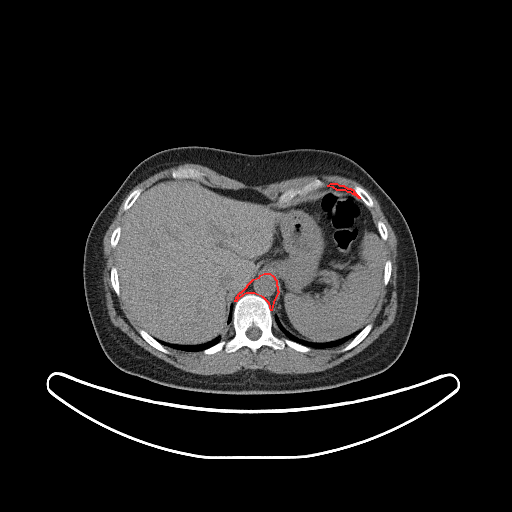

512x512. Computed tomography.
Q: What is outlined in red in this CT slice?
A: red: mediastinum.
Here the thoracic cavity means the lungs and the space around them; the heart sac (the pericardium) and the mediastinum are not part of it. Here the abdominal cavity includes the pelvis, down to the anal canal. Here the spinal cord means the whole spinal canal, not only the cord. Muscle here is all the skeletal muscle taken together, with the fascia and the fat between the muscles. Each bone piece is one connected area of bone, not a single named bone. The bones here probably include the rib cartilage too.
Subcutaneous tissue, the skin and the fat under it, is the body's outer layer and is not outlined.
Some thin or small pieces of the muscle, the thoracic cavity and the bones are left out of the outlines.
Outlines:
mediastinum 1: 264 273; 269 273; 272 275; 276 280; 276 285; 277 286; 277 290; 278 291; 273 302; 271 310; 269 303; 263 297; 254 293; 246 293; 242 295; 237 299; 236 301; 235 301; 236 297; 240 292; 241 292; 253 279; 259 277; 260 275
mediastinum 2: 331 183; 336 183; 339 185; 343 185; 347 188; 350 188; 351 189; 352 189; 353 190; 353 191; 359 197; 359 198; 354 194; 353 194; 350 192; 348 192; 345 190; 337 190; 333 187; 328 186; 328 185
thoracic cavity 1: 275 317; 278 319; 279 322; 286 331; 297 338; 307 342; 316 342; 317 343; 331 342; 335 340; 341 339; 346 336; 349 336; 356 332; 356 334; 349 341; 335 347; 313 348; 301 344; 296 341; 291 340; 286 337; 278 328; 274 321
thoracic cavity 2: 218 337; 221 340; 215 344; 207 348; 205 348; 203 350; 199 350; 198 351; 185 351; 184 350; 179 350; 178 349; 171 348; 163 345; 159 341; 162 341; 170 344; 178 344; 179 345; 197 345; 198 344; 203 344; 206 342; 209 342
spinal cord: 253 326; 255 326; 256 327; 257 327; 261 331; 261 334; 260 335; 260 336; 257 339; 255 339; 254 340; 253 340; 252 339; 251 339; 250 338; 249 338; 247 336; 247 335; 246 334; 246 332; 247 331; 247 330; 250 327; 252 327
torso: 179 146; 207 146; 249 154; 324 149; 349 157; 378 183; 406 220; 419 264; 419 294; 413 325; 403 351; 391 366; 379 374; 329 389; 226 394; 169 387; 126 373; 110 361; 98 341; 85 299; 86 239; 96 217; 133 168; 158 151
muscle 1: 184 163; 195 163; 196 164; 200 164; 206 166; 222 175; 238 180; 248 185; 264 185; 273 182; 279 182; 282 180; 285 180; 293 177; 303 176; 304 175; 312 175; 313 174; 318 176; 320 176; 322 174; 340 175; 344 177; 353 179; 360 183; 374 195; 378 201; 381 210; 391 226; 397 239; 397 278; 396 279; 396 284; 397 285; 397 308; 396 309; 396 315; 394 321; 375 340; 357 354; 350 357; 348 359; 346 359; 339 364; 325 370; 318 371; 317 372; 310 372; 309 373; 298 373; 297 374; 294 373; 287 373; 286 374; 278 374; 261 369; 256 369; 255 370; 248 369; 247 370; 237 371; 234 373; 230 373; 229 374; 213 374; 212 375; 196 374; 175 367; 173 365; 153 355; 141 346; 135 343; 124 332; 119 328; 116 327; 111 322; 108 314; 108 311; 106 307; 105 291; 103 287; 103 270; 105 266; 105 260; 103 257; 103 238; 107 229; 115 217; 119 208; 119 206; 123 199; 138 183; 161 170; 170 168; 174 166; 177 166 with a hole at 186 167; 204 173; 197 180; 205 185; 248 189; 275 202; 286 190; 315 179; 322 181; 323 187; 297 195; 292 201; 315 195; 331 183; 351 189; 362 187; 373 202; 369 208; 373 221; 382 221; 387 229; 383 245; 385 259; 391 262; 391 274; 388 283; 381 287; 367 335; 346 351; 341 350; 347 342; 335 347; 311 347; 307 352; 287 345; 282 349; 262 345; 255 352; 242 346; 233 352; 223 348; 211 354; 167 346; 169 353; 165 353; 149 344; 139 333; 141 328; 122 296; 111 285; 116 248; 111 246; 110 238; 114 229; 122 226; 128 211; 122 208; 123 203; 134 189; 141 188; 143 192; 158 180; 170 178; 174 170
muscle 2: 231 322; 231 323; 232 324; 232 328; 233 329; 233 335; 230 338; 229 338; 227 340; 224 340; 223 339; 222 339; 224 337; 224 336; 225 335; 225 334; 227 332; 227 331; 229 328; 229 326; 230 325; 230 324; 231 323
bones 1: 246 294; 257 295; 268 303; 277 327; 273 328; 273 332; 278 337; 287 338; 310 350; 302 352; 287 345; 282 349; 273 349; 262 345; 255 352; 242 346; 233 352; 223 348; 211 354; 204 353; 205 349; 234 335; 233 308; 237 300; inner edge: 253 326; 255 326; 256 327; 257 327; 261 331; 261 334; 260 335; 260 336; 257 339; 255 339; 254 340; 253 340; 252 339; 251 339; 250 338; 249 338; 247 336; 247 335; 246 334; 246 332; 247 331; 247 330; 250 327; 252 327
bones 2: 315 179; 319 179; 322 181; 325 184; 323 187; 313 190; 303 196; 299 196; 297 195; 291 200; 287 202; 285 202; 281 205; 279 205; 278 204; 278 202; 277 201; 279 196; 286 190; 290 188; 297 188; 298 187; 299 188
bones 3: 186 167; 190 167; 191 168; 193 168; 194 169; 196 169; 197 170; 198 170; 199 171; 200 171; 201 172; 204 173; 205 174; 205 175; 201 179; 193 179; 192 178; 174 178; 171 176; 171 173; 174 170; 176 170; 179 168; 185 168
bones 4: 369 323; 371 323; 372 324; 372 327; 371 328; 371 329; 369 331; 369 332; 367 334; 367 335; 359 343; 358 343; 355 346; 354 346; 352 348; 351 348; 350 349; 349 349; 346 351; 341 351; 341 350; 367 324; 368 324
bones 5: 139 329; 142 329; 146 332; 147 332; 148 334; 149 334; 153 338; 157 340; 163 346; 164 346; 169 351; 169 353; 165 353; 164 352; 162 352; 158 350; 156 348; 153 347; 150 344; 149 344; 141 336; 141 335; 138 331
bones 6: 356 185; 358 185; 359 186; 360 186; 361 187; 362 187; 368 193; 368 194; 372 199; 372 201; 373 202; 373 206; 372 207; 370 207; 369 208; 362 201; 362 200; 360 198; 360 197; 354 191; 354 190; 353 189; 353 188
bones 7: 136 188; 141 188; 142 189; 142 191; 141 192; 141 193; 138 196; 138 197; 135 200; 135 201; 132 204; 132 205; 127 210; 124 210; 122 208; 122 207; 123 206; 123 203; 124 202; 125 199; 127 197; 127 196; 134 189; 135 189
bones 8: 113 266; 114 266; 116 268; 116 269; 117 270; 117 275; 118 276; 118 281; 119 282; 119 290; 120 291; 120 295; 119 296; 118 296; 115 293; 115 292; 114 291; 114 290; 111 285; 111 281; 110 280; 110 271; 111 270; 111 268
bones 9: 117 226; 120 226; 121 227; 121 229; 120 230; 120 235; 119 236; 119 239; 117 242; 117 244; 116 245; 116 246; 115 247; 112 247; 110 244; 110 238; 111 237; 111 234; 112 233; 112 232; 114 230; 114 229
bones 10: 386 260; 390 260; 390 261; 391 262; 391 274; 390 275; 390 277; 389 278; 389 280; 388 281; 388 283; 386 285; 384 285; 384 283; 383 282; 383 279; 384 278; 384 267; 385 266; 385 262; 386 261
bones 11: 379 220; 380 220; 383 222; 383 223; 385 225; 385 226; 387 229; 387 239; 386 240; 383 240; 382 239; 382 238; 381 237; 381 236; 380 235; 380 234; 378 231; 378 228; 377 227; 377 225; 376 224; 377 223; 377 222
abdominal cavity: 171 177; 228 190; 256 191; 279 206; 327 187; 360 199; 385 248; 383 285; 368 323; 357 333; 331 341; 301 339; 273 317; 277 280; 264 272; 235 297; 222 338; 179 344; 153 337; 138 325; 124 303; 116 247; 124 218; 142 192